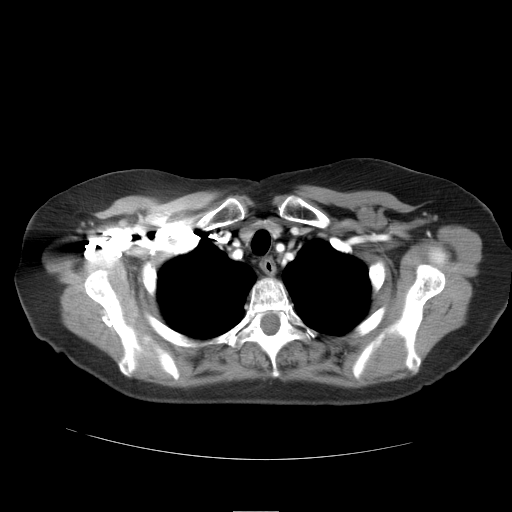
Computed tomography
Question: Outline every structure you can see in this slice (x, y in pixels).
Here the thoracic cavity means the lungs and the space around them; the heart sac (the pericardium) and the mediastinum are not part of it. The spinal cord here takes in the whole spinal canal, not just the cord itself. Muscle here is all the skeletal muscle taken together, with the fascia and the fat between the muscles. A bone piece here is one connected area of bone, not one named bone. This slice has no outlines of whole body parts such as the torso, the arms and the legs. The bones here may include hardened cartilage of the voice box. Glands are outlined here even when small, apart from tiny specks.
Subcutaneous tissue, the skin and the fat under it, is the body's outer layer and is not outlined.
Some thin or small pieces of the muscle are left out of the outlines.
Answer: The bones appear in 10 outlined pieces: piece 1: 264 276; 281 280; 294 311; 318 332; 308 343; 295 339; 279 350; 275 358; 278 377; 273 377; 267 354; 255 342; 246 341; 240 348; 226 343; 178 346; 162 338; 144 314; 149 313; 188 337; 210 339; 228 331; 243 318; 249 293 with a hole at 269 311; 271 311; 274 314; 275 314; 277 316; 277 317; 278 318; 278 321; 279 322; 279 326; 278 327; 278 328; 277 329; 277 330; 273 334; 267 334; 266 333; 265 333; 261 327; 261 322; 262 321; 262 319; 263 318; 263 317; piece 2: 436 247; 441 247; 449 257; 440 268; 445 274; 445 285; 424 303; 415 335; 414 347; 421 358; 419 370; 411 375; 404 362; 407 354; 404 339; 387 333; 356 378; 352 366; 358 355; 401 316; 416 268; 432 262; 430 253; piece 3: 97 271; 106 273; 123 319; 138 332; 139 343; 154 350; 143 341; 146 335; 170 353; 179 373; 177 379; 162 369; 155 358; 144 354; 137 358; 132 377; 121 372; 117 363; 124 353; 121 340; 104 308; 86 293; 84 287; 85 279; piece 4: 292 194; 300 197; 310 205; 318 209; 325 214; 329 218; 330 223; 325 228; 319 228; 313 225; 310 225; 309 224; 306 224; 301 222; 297 222; 296 221; 292 221; 281 217; 278 213; 279 212; 278 211; 278 207; 289 195; 291 195; piece 5: 229 196; 235 197; 244 206; 245 208; 245 215; 243 219; 239 221; 234 222; 231 224; 228 224; 225 226; 222 226; 217 228; 213 228; 209 230; 203 230; 196 225; 197 222; 202 217; 203 214; 205 212; 216 208; 219 206; 227 197; piece 6: 384 305; 386 308; 384 316; 381 322; 375 328; 374 328; 369 332; 366 333; 364 335; 356 335; 355 336; 352 336; 350 335; 351 331; 359 323; 360 323; 371 313; 372 313; 374 311; 375 311; 377 309; 378 309; 380 307; piece 7: 149 260; 152 260; 154 262; 154 265; 157 270; 157 279; 156 280; 156 295; 155 296; 155 299; 154 299; 149 295; 142 281; 142 275; 141 274; 141 269; 142 268; 142 266; 143 264; 145 262; piece 8: 379 259; 382 260; 384 263; 384 266; 385 267; 385 277; 384 278; 382 285; 376 292; 376 293; 375 293; 373 295; 372 294; 372 287; 371 286; 371 283; 370 282; 370 279; 369 278; 369 275; 368 274; 368 267; 372 263; 375 262; piece 9: 331 236; 335 236; 336 237; 337 237; 344 241; 346 241; 346 242; 348 244; 350 244; 349 245; 350 246; 351 246; 351 248; 352 249; 352 253; 345 253; 344 252; 341 252; 340 251; 335 249; 331 245; 331 244; 329 242; 329 238; piece 10: 197 240; 198 240; 197 241; 197 243; 194 247; 194 248; 193 248; 191 250; 190 250; 186 253; 184 253; 183 254; 178 254; 175 256; 175 249; 178 246; 181 245; 184 242; 193 242; 194 241; 196 241. The mediastinum is outlined by 262 226; 266 227; 274 238; 279 237; 283 231; 282 227; 286 226; 315 235; 302 243; 294 258; 283 267; 279 278; 267 275; 259 277; 249 263; 230 256; 214 243; 210 235; 216 229; 222 227; 239 228; 236 236; 245 244; 254 232. The thoracic cavity appears in 2 outlined pieces: piece 1: 204 233; 210 234; 213 243; 225 251; 230 257; 249 264; 258 278; 248 293; 247 302; 243 306; 245 311; 242 318; 231 328; 218 335; 206 339; 198 339; 175 330; 165 323; 156 296; 158 270; 164 262; 194 249; 201 234; piece 2: 313 236; 317 236; 328 241; 335 250; 341 253; 352 254; 367 266; 367 274; 371 287; 368 315; 350 331; 341 335; 328 335; 319 333; 307 325; 295 311; 294 304; 289 297; 284 283; 280 279; 284 267; 295 258; 303 243; 308 241. The spinal cord is outlined by 269 311; 271 311; 274 314; 275 314; 277 316; 277 317; 278 318; 278 321; 279 322; 279 326; 278 327; 278 328; 277 329; 277 330; 273 334; 267 334; 266 333; 265 333; 261 327; 261 322; 262 321; 262 319; 263 318; 263 317. The thyroid glands are outlined by 258 220; 269 220; 281 226; 282 228; 282 231; 280 235; 277 237; 274 237; 272 232; 266 226; 262 225; 258 227; 253 232; 251 237; 247 242; 245 243; 242 242; 238 238; 237 236; 237 233; 240 227; 243 228; 244 227; 249 226. The muscle is outlined by 298 184; 337 191; 386 191; 445 224; 460 224; 479 234; 482 261; 472 282; 465 324; 440 339; 422 362; 416 350; 424 305; 446 285; 441 268; 450 256; 441 246; 433 247; 431 262; 415 268; 400 316; 364 346; 351 366; 358 379; 388 334; 403 339; 403 362; 411 376; 360 388; 273 378; 181 389; 132 378; 142 355; 155 359; 174 380; 180 373; 171 353; 150 336; 145 334; 142 341; 153 350; 140 343; 139 332; 125 321; 107 273; 101 270; 89 274; 83 287; 103 308; 120 340; 123 353; 116 363; 60 321; 56 289; 42 255; 60 238; 72 234; 91 212; 130 194; 173 195; 212 188; 234 188; 257 201; 267 201, around holes outlined by 229 196; 244 206; 245 215; 226 227; 269 220; 327 241; 331 236; 346 241; 368 267; 382 260; 385 277; 368 308; 369 315; 385 306; 381 322; 364 335; 319 333; 308 343; 288 342; 275 358; 278 377; 273 377; 267 354; 255 342; 246 341; 240 348; 226 343; 186 347; 162 338; 144 314; 165 320; 143 284; 142 266; 152 260; 158 270; 178 246; 211 234; 215 228; 203 230; 196 224 and by 292 194; 300 197; 310 205; 318 209; 325 214; 329 218; 330 223; 325 228; 319 228; 313 225; 310 225; 309 224; 306 224; 301 222; 297 222; 296 221; 292 221; 281 217; 278 213; 279 212; 278 211; 278 207; 289 195; 291 195.